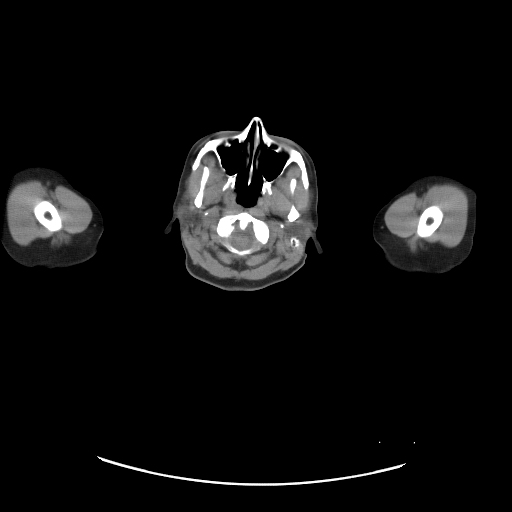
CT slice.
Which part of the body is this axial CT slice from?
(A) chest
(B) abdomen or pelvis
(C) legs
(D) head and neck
(D) head and neck
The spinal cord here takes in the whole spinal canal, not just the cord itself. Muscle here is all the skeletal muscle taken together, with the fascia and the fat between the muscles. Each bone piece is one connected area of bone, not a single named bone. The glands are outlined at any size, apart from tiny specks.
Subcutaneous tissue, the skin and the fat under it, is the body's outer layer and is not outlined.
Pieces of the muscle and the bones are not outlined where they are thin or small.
{"right_arm":[[[31,165],[43,165],[58,170],[75,188],[89,197],[100,210],[103,217],[104,230],[99,240],[99,247],[97,252],[88,261],[65,268],[46,269],[40,266],[24,267],[15,262],[5,251],[0,240],[2,236],[4,208],[10,183],[14,173],[18,169]]],"left_arm":[[[431,173],[442,173],[453,176],[465,182],[476,191],[476,229],[473,238],[471,252],[463,263],[446,274],[425,275],[422,278],[417,279],[398,273],[386,263],[383,258],[380,247],[373,239],[372,224],[374,217],[379,209],[395,194],[405,188],[418,177]]],"bones":[{"outer":[[253,117],[260,118],[272,138],[300,152],[309,181],[307,191],[295,162],[277,176],[286,154],[261,142],[262,154],[249,184],[244,157],[246,140],[242,143],[235,140],[228,147],[217,148],[226,173],[211,151],[192,171],[199,150],[208,140],[241,131]],"hole":[[253,125],[254,126],[254,131],[253,132],[253,135],[252,136],[252,147],[251,148],[251,149],[251,147],[250,146],[250,142],[249,141],[248,141],[247,140],[247,139],[248,138],[248,136],[249,135],[249,132],[250,131],[250,130],[251,129],[251,127]]},{"outer":[[242,211],[246,211],[255,218],[257,218],[264,221],[267,224],[269,228],[270,235],[267,242],[265,244],[262,245],[258,250],[247,255],[239,256],[229,251],[222,244],[222,239],[216,232],[216,225],[219,218],[220,218],[222,216],[224,215],[233,215]],"hole":[[249,225],[250,225],[250,228],[251,229],[251,231],[254,238],[254,241],[253,243],[252,243],[251,245],[248,247],[245,247],[244,248],[238,248],[233,245],[229,240],[232,233],[234,232],[236,229],[238,229],[241,232],[244,232],[249,227]]},[[42,199],[44,199],[45,200],[48,200],[50,202],[51,202],[56,207],[59,213],[59,215],[61,218],[61,221],[62,222],[62,227],[61,229],[60,229],[58,231],[56,231],[55,232],[50,232],[37,220],[33,212],[33,207],[36,203],[36,202]],[[434,204],[435,205],[438,205],[440,207],[443,213],[443,216],[442,217],[441,222],[438,227],[431,235],[427,237],[424,237],[423,238],[419,237],[416,235],[416,230],[417,229],[417,224],[418,223],[419,217],[421,213],[425,208],[430,205],[433,205]],[[204,166],[207,166],[208,167],[209,169],[209,174],[208,175],[208,177],[203,190],[203,196],[202,197],[202,203],[201,204],[201,206],[200,207],[196,207],[194,204],[194,198],[198,192],[200,187],[200,180],[201,179],[201,176],[203,172],[203,167]],[[235,173],[237,173],[237,176],[236,177],[236,181],[235,182],[235,188],[234,189],[232,189],[230,187],[228,187],[225,190],[222,190],[222,187],[223,186],[223,185],[225,183],[225,182],[227,179],[227,174],[229,174],[230,175],[232,175]],[[263,176],[267,180],[269,181],[270,180],[273,180],[274,179],[271,185],[271,190],[272,191],[271,194],[268,194],[267,193],[265,193],[264,194],[261,194],[260,193],[261,191],[261,187],[262,186],[262,182],[263,181],[262,180],[262,177]],[[292,204],[293,205],[294,205],[294,206],[296,208],[296,209],[300,213],[300,216],[299,217],[298,217],[294,221],[289,221],[287,219],[287,215],[288,214],[288,213],[289,212],[289,210],[290,209],[290,207],[291,206],[291,205]],[[292,236],[295,236],[296,237],[297,237],[300,240],[300,243],[301,244],[300,245],[300,246],[297,249],[295,249],[294,248],[293,248],[289,244],[289,240],[290,239],[290,238]]],"muscle":[{"outer":[[206,140],[190,166],[191,171],[211,152],[226,174],[221,190],[235,189],[235,200],[245,207],[253,206],[260,194],[271,195],[275,178],[292,163],[299,168],[300,180],[307,192],[310,181],[305,157],[312,178],[312,204],[310,211],[306,209],[297,222],[303,234],[301,258],[287,271],[255,281],[229,280],[212,276],[193,264],[183,234],[183,220],[189,220],[193,212],[191,197],[184,192],[184,182],[195,150]],"holes":[[[242,211],[246,211],[255,218],[257,218],[264,221],[267,224],[269,228],[270,235],[267,242],[265,244],[262,245],[258,250],[247,255],[239,256],[229,251],[222,244],[222,239],[216,232],[216,225],[219,218],[220,218],[222,216],[224,215],[233,215]],[[204,166],[207,166],[208,167],[209,169],[209,174],[208,175],[208,177],[203,190],[203,196],[202,197],[202,203],[201,204],[201,206],[200,207],[196,207],[194,204],[194,198],[198,192],[200,187],[200,180],[201,179],[201,176],[203,172],[203,167]],[[292,204],[293,205],[294,205],[294,206],[296,208],[296,209],[300,213],[300,216],[299,217],[298,217],[294,221],[289,221],[287,219],[287,215],[288,214],[288,213],[289,212],[289,210],[290,209],[290,207],[291,206],[291,205]],[[292,236],[295,236],[296,237],[297,237],[300,240],[300,243],[301,244],[300,245],[300,246],[297,249],[295,249],[294,248],[293,248],[289,244],[289,240],[290,239],[290,238]],[[292,178],[294,178],[296,180],[296,184],[295,185],[295,188],[294,189],[294,191],[293,192],[293,193],[292,194],[290,192],[290,188],[289,187],[289,185],[290,184],[290,181],[291,180],[291,179]]]},{"outer":[[30,178],[48,179],[68,188],[84,199],[88,203],[92,211],[92,219],[88,227],[74,240],[62,247],[39,248],[30,246],[22,246],[16,243],[10,234],[8,227],[8,219],[7,218],[8,215],[7,214],[8,213],[9,198],[11,192],[15,185]],"hole":[[42,199],[44,199],[45,200],[48,200],[50,202],[51,202],[56,207],[59,213],[59,215],[61,218],[61,221],[62,222],[62,227],[61,229],[60,229],[58,231],[56,231],[55,232],[50,232],[37,220],[33,212],[33,207],[36,203],[36,202]]},{"outer":[[439,183],[455,184],[461,187],[466,192],[468,196],[468,217],[467,218],[467,225],[464,236],[460,243],[454,247],[435,247],[416,253],[412,252],[408,249],[398,237],[392,234],[388,230],[385,225],[384,215],[391,204],[401,196],[425,186],[438,184]],"hole":[[434,204],[435,205],[438,205],[440,207],[443,213],[443,216],[442,217],[441,222],[438,227],[431,235],[427,237],[424,237],[423,238],[419,237],[416,235],[416,230],[417,229],[417,224],[418,223],[419,217],[421,213],[425,208],[430,205],[433,205]]}],"head_and_neck":[{"outer":[[253,117],[260,118],[268,134],[295,141],[312,158],[318,188],[316,234],[323,252],[317,252],[310,238],[305,246],[304,265],[287,279],[258,290],[227,291],[189,274],[177,220],[168,233],[163,230],[172,215],[179,178],[191,146],[215,131],[241,131]],"holes":[[[235,141],[238,144],[246,141],[243,157],[244,167],[248,168],[247,185],[252,181],[254,170],[259,168],[263,154],[261,143],[267,149],[285,154],[285,161],[273,179],[261,177],[259,195],[251,206],[236,200],[238,173],[227,173],[218,151]],[[253,125],[254,126],[254,131],[253,132],[253,135],[252,136],[252,147],[251,148],[251,149],[251,147],[250,146],[250,142],[249,141],[248,141],[247,140],[247,139],[248,138],[248,136],[249,135],[249,132],[250,131],[250,130],[251,129],[251,127]]]}],"parotid_glands":[[[185,192],[189,195],[190,197],[190,199],[191,200],[191,205],[192,206],[192,212],[191,213],[190,218],[186,220],[180,217],[177,211],[177,209],[178,208],[178,203],[180,200],[180,198],[181,196]],[[306,210],[308,210],[311,213],[311,216],[312,217],[312,227],[309,230],[309,231],[306,234],[305,233],[303,233],[302,232],[301,232],[301,231],[299,229],[299,228],[298,227],[298,222],[300,220],[300,219],[302,217],[302,216],[303,215],[304,212]]],"spinal_cord":[[[249,225],[250,225],[250,228],[251,229],[251,231],[254,238],[254,241],[253,243],[252,243],[251,245],[248,247],[245,247],[244,248],[238,248],[233,245],[229,240],[232,233],[234,232],[236,229],[238,229],[241,232],[244,232],[249,227]]]}